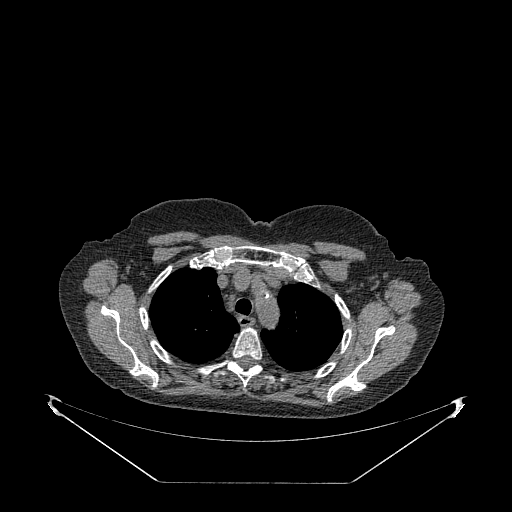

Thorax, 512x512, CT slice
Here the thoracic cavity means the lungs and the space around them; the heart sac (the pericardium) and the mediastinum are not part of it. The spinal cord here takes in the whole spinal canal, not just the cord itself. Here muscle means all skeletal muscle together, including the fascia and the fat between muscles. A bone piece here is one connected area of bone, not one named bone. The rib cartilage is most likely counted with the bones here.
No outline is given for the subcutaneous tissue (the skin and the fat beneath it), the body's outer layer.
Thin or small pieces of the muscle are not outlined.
The thoracic cavity appears in 2 outlined pieces: piece 1: 185 266; 196 270; 201 270; 203 268; 212 268; 215 270; 216 284; 219 289; 223 308; 226 312; 233 316; 239 326; 239 331; 228 353; 220 360; 199 366; 190 365; 177 360; 162 346; 154 335; 149 325; 148 309; 153 294; 174 270; piece 2: 297 282; 306 284; 331 298; 345 320; 344 329; 338 346; 329 359; 315 369; 306 371; 288 371; 267 358; 264 353; 264 348; 259 335; 261 330; 263 329; 268 331; 273 331; 276 328; 281 314; 277 298; 278 294; 284 285; 295 284. The bones appear in 11 outlined pieces: piece 1: 251 244; 284 251; 305 259; 319 280; 324 292; 306 283; 296 281; 287 270; 280 267; 260 266; 257 264; 247 264; 242 262; 235 262; 220 269; 215 269; 212 267; 196 269; 189 267; 188 262; 191 258; 215 247; 223 245; 237 246; piece 2: 247 327; 251 327; 257 331; 263 348; 263 353; 267 359; 267 364; 263 371; 253 375; 249 379; 245 391; 243 390; 242 381; 232 371; 228 370; 226 374; 217 376; 212 372; 205 375; 196 371; 197 367; 222 360; 231 350; 240 330; inner edge: 243 356; 250 356; 252 358; 252 359; 254 361; 254 362; 253 363; 253 364; 251 366; 250 366; 248 368; 247 368; 246 369; 244 369; 241 366; 240 366; 239 365; 239 364; 238 363; 238 361; 237 360; piece 3: 388 325; 395 327; 394 332; 383 336; 378 341; 371 359; 362 366; 357 373; 357 378; 364 382; 366 387; 361 391; 354 391; 347 386; 342 387; 335 392; 332 401; 329 403; 326 399; 328 388; 348 375; 368 356; 374 341; 376 329; piece 4: 103 304; 108 308; 117 310; 120 319; 120 336; 132 347; 144 364; 150 366; 158 373; 159 380; 154 389; 151 387; 152 379; 149 376; 145 374; 133 376; 128 372; 128 369; 134 364; 133 355; 118 340; 115 320; 111 316; 101 313; piece 5: 152 337; 155 337; 155 338; 158 341; 158 342; 161 345; 161 346; 174 358; 174 361; 175 363; 178 365; 178 366; 173 366; 170 364; 168 364; 162 361; 155 354; 152 348; 150 346; 150 344; 149 343; 150 338; piece 6: 170 263; 172 263; 173 264; 173 270; 167 276; 167 277; 156 288; 156 289; 152 294; 148 294; 147 293; 147 290; 148 289; 148 288; 149 287; 149 286; 150 285; 150 284; 154 279; 154 278; 168 264; 169 264; piece 7: 335 359; 337 361; 337 363; 336 364; 335 367; 328 374; 327 374; 324 376; 322 376; 321 377; 319 377; 318 378; 313 378; 312 377; 311 377; 311 376; 314 373; 315 370; 317 368; 318 368; 320 366; 323 365; 329 360; 334 360; piece 8: 334 291; 336 291; 342 297; 342 298; 344 300; 344 301; 349 310; 349 312; 350 313; 350 319; 349 320; 347 320; 346 319; 345 319; 344 316; 342 314; 342 313; 338 309; 336 304; 334 302; 334 301; 333 300; 333 296; 334 295; piece 9: 348 326; 350 326; 352 329; 352 337; 350 340; 350 342; 349 344; 347 346; 344 352; 342 354; 340 354; 339 353; 339 344; 341 341; 341 339; 342 338; 342 336; 343 335; 344 330; 345 328; 346 328; piece 10: 267 371; 269 371; 270 372; 272 372; 277 377; 278 377; 282 373; 288 373; 289 374; 289 376; 286 381; 280 381; 279 380; 277 380; 274 383; 269 383; 268 380; 263 377; 263 375; 265 373; 265 372; 266 372; piece 11: 140 305; 143 305; 146 308; 146 309; 147 310; 147 315; 148 316; 148 325; 149 326; 149 327; 147 330; 145 330; 144 329; 144 328; 142 325; 142 323; 140 320; 140 317; 139 316; 139 312; 138 311; 138 309; 139 308; 139 306. The mediastinum is outlined by 235 263; 257 265; 260 267; 280 268; 287 271; 296 282; 284 284; 277 294; 276 298; 280 314; 278 322; 273 330; 263 328; 259 333; 251 326; 243 327; 240 329; 240 326; 234 316; 224 308; 220 289; 217 284; 216 270; 220 270. The right arm is outlined by 74 255; 75 255; 75 276; 76 277; 76 290; 75 291; 74 299; 73 300; 73 303; 71 306; 71 308; 67 313; 64 319; 63 318; 63 316; 60 309; 60 306; 59 305; 59 300; 58 299; 58 281; 59 280; 60 274; 64 266. The torso is outlined by 198 197; 231 202; 255 221; 270 221; 312 204; 342 206; 369 220; 398 259; 398 311; 424 363; 419 371; 372 408; 332 418; 166 407; 138 400; 104 383; 84 363; 64 321; 77 290; 76 254; 85 241; 110 238; 135 214; 154 204. The muscle is outlined by 181 230; 262 243; 330 241; 363 250; 367 259; 351 263; 344 284; 355 301; 364 304; 400 277; 421 293; 423 311; 411 354; 366 393; 330 407; 245 396; 165 396; 148 389; 127 377; 87 334; 79 284; 91 264; 102 259; 114 259; 119 278; 137 294; 149 284; 148 308; 140 304; 137 311; 143 329; 154 336; 149 346; 162 362; 178 367; 175 359; 205 376; 232 372; 244 392; 268 359; 288 372; 314 370; 313 379; 328 375; 338 363; 330 358; 338 347; 342 355; 353 337; 352 327; 345 327; 351 313; 343 297; 336 290; 332 298; 326 294; 306 259; 284 250; 223 244; 176 269; 170 262; 154 277; 158 268; 147 239, around holes outlined by 388 325; 395 327; 394 332; 383 336; 378 341; 371 359; 362 366; 357 373; 357 378; 364 382; 366 387; 361 391; 354 391; 347 386; 342 387; 335 392; 332 401; 329 403; 326 399; 328 388; 348 375; 368 356; 374 341; 376 329 and by 103 304; 108 308; 117 310; 120 319; 120 336; 132 347; 144 364; 150 366; 158 373; 159 380; 154 389; 151 387; 152 379; 149 376; 145 374; 133 376; 128 372; 128 369; 134 364; 133 355; 118 340; 115 320; 111 316; 101 313 and by 267 371; 269 371; 270 372; 272 372; 277 377; 278 377; 282 373; 288 373; 289 374; 289 376; 286 381; 280 381; 279 380; 277 380; 274 383; 269 383; 268 380; 263 377; 263 375; 265 373; 265 372; 266 372. The left arm is outlined by 406 256; 409 256; 413 258; 419 258; 423 260; 427 264; 429 268; 430 277; 439 287; 444 298; 444 304; 445 305; 444 306; 444 316; 442 324; 436 341; 424 362; 407 332; 407 330; 403 323; 401 314; 399 311; 399 260. The spinal cord is outlined by 243 356; 250 356; 252 358; 252 359; 254 361; 254 362; 253 363; 253 364; 251 366; 250 366; 248 368; 247 368; 246 369; 244 369; 241 366; 240 366; 239 365; 239 364; 238 363; 238 361; 237 360.